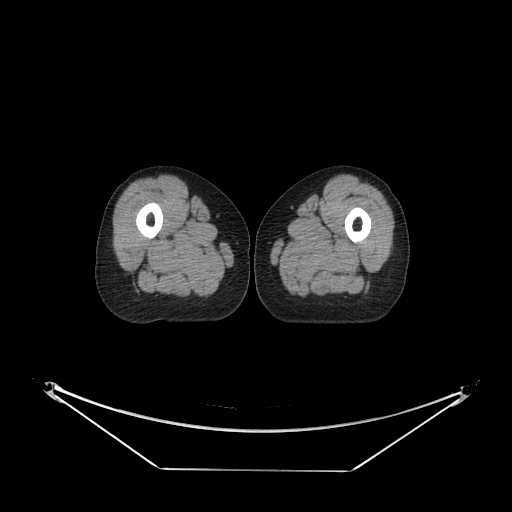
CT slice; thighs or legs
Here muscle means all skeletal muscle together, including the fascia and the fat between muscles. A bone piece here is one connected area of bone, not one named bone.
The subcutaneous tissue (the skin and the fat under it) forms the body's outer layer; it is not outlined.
Outlined structures:
right leg: 156,164 171,164 184,167 205,177 231,199 246,222 250,237 248,290 240,306 231,315 220,321 208,323 165,323 162,321 145,324 128,323 113,315 105,307 98,295 94,280 95,246 105,206 115,188 132,172
bones 1: 152,201 156,202 160,205 161,207 161,210 163,214 163,221 162,222 161,229 158,232 158,233 153,238 147,238 143,236 137,229 137,227 135,223 135,218 136,217 136,214 139,209 146,203 148,202 151,202
bones 2: 355,206 358,206 363,208 368,213 371,218 371,228 370,229 370,232 369,234 365,239 364,239 361,242 358,242 357,243 354,243 347,236 344,228 344,220 345,219 345,217 350,209 352,207 354,207
left leg: 337,164 350,164 370,170 382,178 389,185 399,200 405,215 410,241 410,257 405,287 393,309 385,317 373,323 355,325 299,325 284,323 268,313 260,302 255,290 253,254 256,231 266,211 286,189 313,171
muscle 1: 340,173 353,174 361,181 370,183 380,190 387,200 394,218 391,254 381,269 372,275 369,293 365,297 335,296 314,301 291,298 280,289 271,270 270,253 273,244 286,230 288,222 295,215 297,206 328,179, around a hole outlined by 355,206 358,206 363,208 368,213 371,218 371,228 370,229 370,232 369,234 365,239 364,239 361,242 358,242 357,243 354,243 347,236 344,228 344,220 345,219 345,217 350,209 352,207 354,207
muscle 2: 162,173 178,176 201,198 214,218 222,238 231,250 233,258 232,274 228,281 208,298 202,299 192,295 177,297 171,294 155,298 143,298 137,292 129,272 122,266 117,256 112,231 112,215 119,196 135,179 with a hole at 152,201 156,202 160,205 161,207 161,210 163,214 163,221 162,222 161,229 158,232 158,233 153,238 147,238 143,236 137,229 137,227 135,223 135,218 136,217 136,214 139,209 146,203 148,202 151,202